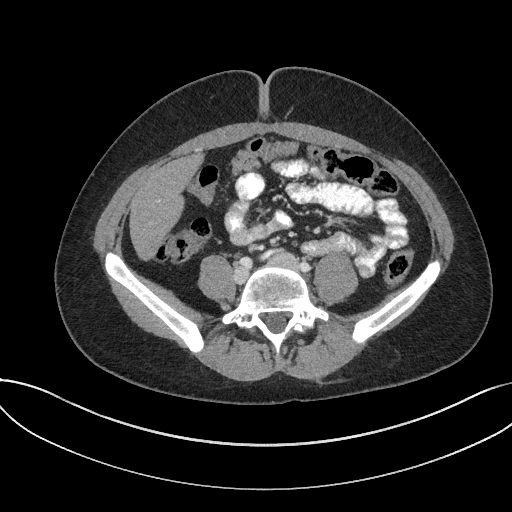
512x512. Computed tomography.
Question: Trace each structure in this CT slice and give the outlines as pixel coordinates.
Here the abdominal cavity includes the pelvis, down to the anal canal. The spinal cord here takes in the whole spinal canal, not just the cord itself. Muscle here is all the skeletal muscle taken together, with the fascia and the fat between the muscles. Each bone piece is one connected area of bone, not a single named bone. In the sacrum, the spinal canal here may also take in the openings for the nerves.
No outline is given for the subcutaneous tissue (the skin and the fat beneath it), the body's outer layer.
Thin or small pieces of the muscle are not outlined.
Answer: The bones appear in 3 outlined pieces: piece 1: (276, 360) (280, 355) (282, 342) (292, 330) (303, 333) (313, 328) (316, 318) (326, 321) (329, 315) (322, 307) (310, 300) (306, 282) (298, 273) (277, 266) (263, 266) (248, 278) (240, 301) (222, 316) (222, 322) (225, 324) (233, 322) (241, 328) (258, 329) (274, 346); inner edge: (273, 332) (279, 332) (281, 331) (284, 328) (287, 322) (287, 320) (289, 317) (289, 314) (288, 313) (286, 312) (275, 312) (274, 313) (264, 313) (262, 314) (261, 316) (262, 319) (264, 321) (264, 322) (266, 324) (268, 328) (271, 331); piece 2: (194, 353) (199, 352) (204, 346) (202, 335) (196, 323) (178, 312) (162, 300) (140, 281) (132, 270) (126, 264) (124, 260) (119, 255) (111, 251) (107, 252) (105, 255) (105, 269) (107, 273) (116, 281) (130, 291) (156, 316) (161, 319) (170, 329) (183, 340) (190, 351); piece 3: (357, 343) (364, 342) (377, 331) (383, 328) (391, 321) (403, 313) (428, 289) (435, 281) (440, 271) (440, 261) (438, 258) (428, 261) (422, 271) (404, 288) (399, 291) (388, 301) (385, 302) (381, 306) (377, 308) (373, 312) (365, 317) (361, 318) (354, 324) (351, 337). The muscle appears in 3 outlined pieces: piece 1: (319, 384) (326, 383) (323, 380) (325, 377) (359, 354) (369, 341) (394, 327) (413, 312) (433, 284) (408, 310) (362, 344) (355, 343) (350, 337) (353, 324) (388, 300) (396, 293) (392, 293) (359, 312) (339, 315) (328, 311) (330, 317) (326, 322) (316, 319) (314, 328) (303, 334) (292, 331) (283, 342) (281, 355) (276, 361) (273, 346) (258, 330) (241, 329) (233, 323) (225, 325) (221, 322) (221, 317) (192, 308) (171, 290) (132, 269) (139, 279) (162, 299) (197, 323) (205, 346) (199, 353) (194, 354) (178, 336) (104, 269) (104, 255) (107, 251) (111, 250) (123, 258) (121, 238) (129, 201) (151, 172) (170, 158) (192, 150) (229, 144) (259, 132) (273, 131) (305, 141) (360, 151) (370, 154) (384, 164) (404, 183) (420, 205) (431, 234) (432, 247) (428, 260) (438, 257) (441, 261) (437, 281) (450, 262) (454, 249) (454, 236) (441, 203) (424, 178) (403, 161) (389, 157) (350, 137) (319, 126) (292, 121) (238, 122) (221, 126) (190, 138) (127, 176) (101, 213) (95, 226) (92, 244) (112, 293) (130, 319) (143, 330) (174, 341) (204, 365) (230, 379) (254, 381) (282, 372); piece 2: (326, 310) (327, 310) (327, 307) (329, 305) (342, 301) (348, 297) (355, 290) (357, 286) (357, 276) (352, 266) (351, 261) (347, 255) (343, 253) (329, 254) (316, 263) (315, 266) (314, 277) (313, 278) (314, 287) (310, 290) (309, 293) (311, 300) (315, 304) (322, 306); piece 3: (226, 311) (232, 309) (237, 304) (239, 301) (239, 296) (236, 294) (235, 285) (233, 283) (231, 277) (231, 267) (230, 265) (225, 258) (222, 256) (212, 254) (203, 258) (200, 264) (200, 272) (198, 278) (198, 285) (202, 292) (207, 297) (217, 302). The abdominal cavity is outlined by (215, 316) (227, 312) (197, 285) (199, 264) (212, 253) (231, 265) (240, 296) (263, 265) (298, 272) (309, 291) (315, 263) (333, 252) (348, 255) (358, 286) (328, 310) (359, 311) (397, 292) (430, 253) (419, 205) (370, 155) (273, 132) (170, 159) (130, 201) (124, 259). The torso is outlined by (239, 405) (326, 400) (427, 377) (467, 355) (490, 316) (493, 286) (487, 251) (452, 173) (394, 105) (329, 71) (284, 66) (272, 70) (264, 81) (253, 71) (229, 69) (164, 95) (101, 156) (74, 201) (59, 242) (53, 277) (58, 311) (72, 342) (90, 362) (149, 390). The spinal cord is outlined by (273, 332) (279, 332) (281, 331) (284, 328) (287, 322) (287, 320) (289, 317) (289, 314) (288, 313) (286, 312) (275, 312) (274, 313) (264, 313) (262, 314) (261, 316) (262, 319) (264, 321) (264, 322) (266, 324) (268, 328) (271, 331).